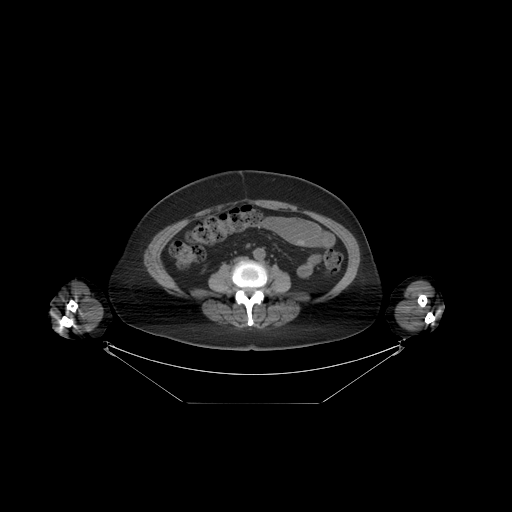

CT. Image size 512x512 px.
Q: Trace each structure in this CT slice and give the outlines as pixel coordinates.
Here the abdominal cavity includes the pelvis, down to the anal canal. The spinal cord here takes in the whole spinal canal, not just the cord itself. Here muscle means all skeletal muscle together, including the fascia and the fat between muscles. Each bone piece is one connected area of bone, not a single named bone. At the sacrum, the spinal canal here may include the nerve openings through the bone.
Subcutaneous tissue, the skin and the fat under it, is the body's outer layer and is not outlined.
A: Outlines:
torso: 230,169 256,169 295,175 329,190 351,209 366,235 383,284 382,303 375,321 369,327 351,337 328,343 285,350 240,351 199,347 152,335 127,325 113,312 106,293 108,277 140,217 158,200 178,187 203,176
abdominal cavity: 240,203 300,213 329,229 346,250 341,277 327,291 312,297 309,291 290,290 292,280 287,271 266,266 263,261 241,258 235,263 221,264 209,275 207,286 189,286 186,290 180,287 162,260 167,243 192,221
bones 1: 241,259 251,259 263,262 267,270 267,281 261,288 264,294 264,299 261,303 255,303 252,306 251,316 253,324 251,326 247,324 248,319 245,306 243,304 238,304 235,301 234,296 237,287 231,278 234,265 with a hole at 245,287 251,287 252,288 254,288 255,289 254,290 254,291 253,292 253,293 250,296 248,296 245,293 245,292 244,291 244,290 243,289 243,288 244,288
bones 2: 64,315 65,315 68,318 69,318 70,319 72,319 73,320 73,323 72,324 72,325 70,327 66,327 65,326 62,326 61,325 59,325 59,320
bones 3: 420,294 424,294 426,296 426,297 427,298 427,302 426,303 426,304 423,307 421,307 420,306 420,305 418,303 418,302 417,301 417,299 418,298 418,297 419,296 419,295
bones 4: 429,311 430,311 431,312 432,312 433,313 433,314 435,316 435,319 434,320 434,321 433,322 428,322 427,323 426,323 425,322 425,321 424,320 424,319 425,318 425,316 426,315 426,314
bones 5: 71,299 72,299 77,304 77,307 76,308 76,309 75,310 75,311 72,311 70,309 67,309 66,308 66,305 69,302 69,301
right arm: 70,274 78,274 85,277 104,292 108,298 109,306 113,313 112,321 109,324 105,333 97,338 94,339 65,338 60,336 54,331 49,323 47,318 47,310 49,307 49,302 56,292 54,287 60,279
muscle 1: 243,198 287,202 329,217 348,229 360,251 360,263 353,281 334,297 303,307 293,320 268,329 236,329 232,325 220,325 208,319 193,299 178,297 165,290 151,277 143,263 144,251 152,238 164,227 202,209 with a hole at 240,203 300,213 329,229 346,250 341,277 312,297 309,291 290,290 287,271 266,266 264,299 252,306 251,326 245,306 234,298 234,263 221,264 209,275 207,286 180,287 162,260 167,243 192,221
muscle 2: 74,280 82,282 85,284 90,291 90,296 95,298 103,307 103,316 97,326 91,331 85,331 81,333 76,333 71,330 59,331 57,328 57,325 55,323 54,315 55,308 57,306 58,301 66,290 68,284; inner edges: 64,315 65,315 68,318 69,318 70,319 72,319 73,320 73,323 72,324 72,325 70,327 66,327 65,326 62,326 61,325 59,325 59,320, then 71,299 72,299 77,304 77,307 76,308 76,309 75,310 75,311 72,311 70,309 67,309 66,308 66,305 69,302 69,301
muscle 3: 417,280 427,281 434,288 434,292 438,302 438,305 440,307 441,313 439,317 435,321 435,323 433,326 423,327 419,330 411,331 401,327 398,324 396,321 394,313 395,312 396,305 404,298 405,289 410,283; inner edges: 420,294 424,294 426,296 426,297 427,298 427,302 426,303 426,304 423,307 421,307 420,306 420,305 418,303 418,302 417,301 417,299 418,298 418,297 419,296 419,295, then 429,311 430,311 431,312 432,312 433,313 433,314 435,316 435,319 434,320 434,321 433,322 428,322 427,323 426,323 425,322 425,321 424,320 424,319 425,318 425,316 426,315 426,314
spinal cord: 245,287 251,287 252,288 254,288 255,289 254,290 254,291 253,292 253,293 250,296 248,296 245,293 245,292 244,291 244,290 243,289 243,288 244,288
left arm: 418,273 428,274 435,279 439,290 444,299 445,317 443,318 439,326 433,331 408,338 405,341 401,340 399,342 397,339 398,338 390,330 389,325 384,317 385,309 389,302 390,295 394,288 407,277